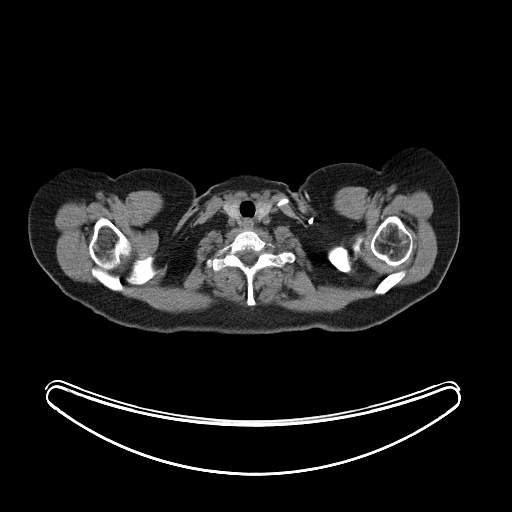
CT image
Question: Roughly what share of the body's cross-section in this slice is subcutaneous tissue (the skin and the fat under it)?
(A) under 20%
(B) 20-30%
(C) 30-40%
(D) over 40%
Answer: (C) 30-40%
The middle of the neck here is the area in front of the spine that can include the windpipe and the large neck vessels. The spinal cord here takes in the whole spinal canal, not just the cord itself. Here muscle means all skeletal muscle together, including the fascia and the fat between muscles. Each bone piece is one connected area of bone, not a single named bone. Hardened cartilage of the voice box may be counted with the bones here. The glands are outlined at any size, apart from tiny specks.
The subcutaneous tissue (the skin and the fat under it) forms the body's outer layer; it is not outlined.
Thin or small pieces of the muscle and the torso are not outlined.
Outlined structures:
torso: (337, 162) (376, 169) (353, 213) (370, 272) (403, 287) (436, 290) (379, 325) (355, 332) (313, 328) (258, 335) (146, 332) (94, 313) (48, 275) (117, 274) (129, 260) (137, 238) (110, 176) (166, 169) (189, 179) (200, 195) (228, 176) (251, 173) (295, 190) (310, 172)
right arm: (71, 166) (90, 167) (96, 170) (105, 172) (114, 181) (124, 198) (125, 204) (131, 217) (132, 228) (136, 239) (128, 260) (117, 273) (103, 273) (102, 272) (85, 275) (48, 274) (38, 264) (31, 251) (27, 231) (27, 213) (31, 199) (37, 188) (42, 182) (62, 169)
muscle: (392, 184) (397, 190) (422, 186) (432, 198) (430, 220) (437, 238) (433, 267) (423, 279) (394, 287) (406, 270) (389, 272) (375, 286) (375, 296) (335, 312) (256, 305) (256, 273) (291, 264) (296, 255) (290, 250) (274, 251) (275, 246) (254, 230) (272, 226) (281, 210) (250, 195) (226, 201) (216, 213) (223, 226) (241, 230) (205, 261) (215, 272) (226, 267) (242, 272) (248, 306) (218, 302) (205, 310) (173, 314) (119, 293) (124, 286) (114, 272) (132, 248) (129, 239) (104, 216) (94, 222) (88, 243) (95, 265) (90, 272) (98, 282) (71, 279) (56, 258) (58, 207) (99, 190) (160, 193) (165, 204) (158, 219) (172, 232) (186, 215) (225, 189) (277, 188) (307, 201) (323, 220) (333, 212) (332, 197) (338, 189) with holes at (392, 215) (395, 215) (401, 219) (406, 228) (411, 233) (412, 239) (413, 240) (413, 245) (412, 246) (412, 252) (411, 254) (403, 263) (395, 267) (389, 266) (383, 261) (378, 259) (372, 253) (370, 248) (370, 242) (375, 230) (382, 221) (388, 216) (391, 216) and at (359, 236) (362, 237) (362, 241) (360, 244) (360, 253) (357, 256) (357, 258) (353, 262) (353, 265) (351, 271) (350, 272) (343, 272) (340, 271) (329, 261) (327, 257) (327, 251) (331, 247) (334, 246) (341, 246) (348, 250) (348, 251) (351, 253) (352, 252) (352, 245) and at (148, 256) (153, 256) (154, 257) (153, 266) (156, 270) (156, 273) (154, 275) (154, 276) (149, 279) (146, 282) (142, 284) (132, 284) (131, 283) (129, 283) (126, 280) (126, 277) (131, 269) (131, 266) (133, 262) (136, 259) (143, 259) (144, 258) (146, 258)
bones 1: (242, 230) (253, 230) (266, 243) (271, 243) (276, 253) (290, 251) (295, 255) (291, 263) (287, 262) (282, 267) (266, 266) (255, 273) (252, 283) (253, 306) (247, 304) (247, 282) (238, 267) (226, 266) (215, 271) (206, 265) (207, 259) (213, 258) (217, 250) (229, 244) with a hole at (244, 250) (252, 250) (258, 253) (258, 255) (256, 258) (256, 260) (252, 264) (250, 265) (248, 265) (246, 264) (243, 261) (242, 261) (242, 260) (237, 255) (237, 253) (238, 252) (240, 251) (243, 251)
bones 2: (101, 217) (110, 220) (128, 239) (130, 243) (131, 249) (128, 256) (113, 272) (119, 275) (120, 281) (123, 286) (123, 290) (119, 292) (112, 291) (105, 287) (92, 275) (91, 272) (92, 268) (96, 265) (89, 253) (89, 243) (93, 234) (93, 226) (95, 222)
bones 3: (392, 215) (395, 215) (401, 219) (406, 228) (411, 233) (412, 239) (413, 240) (413, 245) (412, 246) (412, 252) (411, 254) (403, 263) (395, 267) (389, 266) (383, 261) (378, 259) (372, 253) (370, 248) (370, 242) (375, 230) (382, 221) (388, 216) (391, 216)
bones 4: (359, 236) (362, 237) (362, 241) (360, 244) (360, 253) (357, 256) (357, 258) (353, 262) (353, 265) (351, 271) (350, 272) (343, 272) (340, 271) (329, 261) (327, 257) (327, 251) (331, 247) (334, 246) (341, 246) (348, 250) (348, 251) (351, 253) (352, 252) (352, 245)
bones 5: (148, 256) (153, 256) (154, 257) (153, 266) (156, 270) (156, 273) (154, 275) (154, 276) (149, 279) (146, 282) (142, 284) (132, 284) (131, 283) (129, 283) (126, 280) (126, 277) (131, 269) (131, 266) (133, 262) (136, 259) (143, 259) (144, 258) (146, 258)
bones 6: (399, 270) (405, 270) (405, 275) (395, 285) (394, 285) (385, 293) (384, 293) (381, 295) (377, 295) (374, 293) (374, 290) (375, 289) (376, 286) (378, 284) (378, 283) (382, 279) (382, 278) (383, 278) (389, 273) (391, 273) (392, 272) (394, 272) (395, 271) (398, 271)
middle of the neck: (246, 196) (250, 196) (258, 200) (256, 210) (257, 221) (263, 219) (272, 209) (273, 205) (277, 206) (280, 210) (278, 219) (270, 226) (257, 229) (229, 229) (223, 225) (217, 216) (217, 213) (220, 209) (222, 207) (224, 212) (228, 216) (238, 221) (240, 218) (238, 199)
thyroid glands 1: (232, 200) (238, 200) (238, 208) (237, 209) (238, 210) (238, 215) (239, 216) (239, 218) (238, 219) (238, 220) (237, 220) (236, 219) (231, 217) (229, 215) (228, 215) (225, 212) (225, 211) (223, 208) (223, 206) (224, 205) (224, 204) (226, 202) (229, 202)
thyroid glands 2: (259, 201) (267, 201) (268, 202) (269, 202) (270, 203) (271, 203) (271, 209) (264, 216) (264, 217) (263, 218) (262, 218) (261, 219) (260, 219) (259, 220) (257, 220) (257, 210) (258, 209) (258, 204) (259, 203)
left arm: (410, 145) (425, 146) (435, 153) (443, 161) (452, 174) (459, 193) (459, 241) (451, 263) (437, 289) (417, 289) (403, 286) (386, 280) (377, 274) (371, 272) (365, 259) (361, 254) (356, 235) (354, 213) (373, 174) (377, 169) (382, 166) (384, 161) (389, 156) (399, 149)
spinal cord: (244, 250) (252, 250) (258, 253) (258, 255) (256, 258) (256, 260) (252, 264) (250, 265) (248, 265) (246, 264) (243, 261) (242, 261) (242, 260) (237, 255) (237, 253) (238, 252) (240, 251) (243, 251)